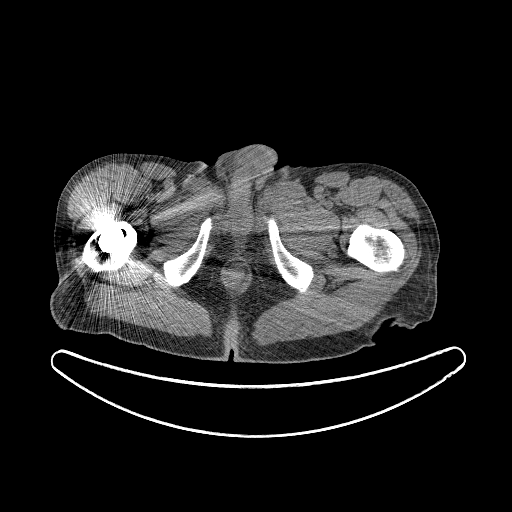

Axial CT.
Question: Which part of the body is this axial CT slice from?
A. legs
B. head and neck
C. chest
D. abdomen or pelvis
Answer: D. abdomen or pelvis
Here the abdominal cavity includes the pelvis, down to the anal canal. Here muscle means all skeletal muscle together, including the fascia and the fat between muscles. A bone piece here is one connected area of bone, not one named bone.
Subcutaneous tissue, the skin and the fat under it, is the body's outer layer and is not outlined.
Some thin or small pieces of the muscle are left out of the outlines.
{"bones":[[[362,223],[369,224],[371,226],[378,228],[386,228],[389,230],[391,230],[402,241],[405,249],[405,256],[402,264],[398,268],[397,271],[378,272],[369,268],[359,261],[351,257],[349,257],[346,254],[346,248],[348,244],[348,240],[350,234],[359,224]],[[121,220],[127,221],[136,230],[138,237],[138,242],[136,246],[130,253],[129,258],[125,264],[116,271],[114,270],[100,271],[99,272],[94,272],[92,271],[84,264],[82,258],[82,250],[85,242],[94,232],[96,232],[102,226]],[[265,217],[272,217],[275,220],[279,231],[279,235],[283,245],[294,256],[310,264],[312,266],[314,274],[311,282],[304,292],[300,292],[297,289],[287,284],[278,272],[278,270],[274,262],[274,257],[272,253],[272,249],[267,231],[267,225],[264,218]],[[209,216],[212,217],[212,227],[208,238],[206,250],[199,268],[197,270],[196,273],[188,282],[176,287],[170,286],[164,280],[164,275],[163,274],[163,269],[162,268],[163,262],[168,259],[174,258],[186,251],[192,245],[196,239],[199,232],[201,223]]],"abdominal_cavity":[[[235,260],[242,260],[243,261],[248,269],[249,277],[247,280],[247,282],[244,285],[244,287],[242,289],[239,291],[234,291],[233,292],[232,290],[226,285],[225,283],[226,282],[224,281],[224,274],[226,269],[230,265],[230,263],[232,261]]],"torso":[[[254,143],[277,152],[276,168],[369,162],[415,184],[440,240],[437,302],[429,321],[407,329],[387,320],[374,345],[300,363],[236,362],[232,350],[226,361],[184,357],[54,322],[49,299],[58,283],[56,207],[80,167],[120,152],[213,164],[222,153]]],"muscle":[{"outer":[[331,171],[386,176],[403,187],[420,215],[419,266],[384,308],[358,329],[256,346],[251,335],[256,319],[290,295],[281,278],[304,293],[315,274],[310,263],[284,245],[272,216],[263,218],[277,270],[271,265],[257,221],[259,193],[276,181],[308,180]],"hole":[[362,223],[369,224],[371,226],[378,228],[386,228],[389,230],[391,230],[402,241],[405,249],[405,256],[402,264],[398,268],[397,271],[378,272],[369,268],[359,261],[351,257],[349,257],[346,254],[346,248],[348,244],[348,240],[350,234],[359,224]]},{"outer":[[145,161],[204,178],[225,196],[221,231],[197,274],[213,227],[211,215],[200,223],[191,245],[161,265],[163,280],[172,288],[193,277],[190,293],[211,314],[212,337],[190,339],[109,319],[95,314],[85,302],[68,246],[72,190],[85,174],[107,163]],"hole":[[121,220],[127,221],[136,230],[138,237],[138,242],[136,246],[130,253],[129,258],[125,264],[116,271],[114,270],[100,271],[99,272],[94,272],[92,271],[84,264],[82,258],[82,250],[85,242],[94,232],[96,232],[102,226]]},{"outer":[[234,255],[239,255],[240,256],[242,256],[249,264],[251,268],[251,272],[252,273],[252,281],[250,285],[244,292],[243,292],[237,297],[232,297],[226,290],[225,286],[219,279],[219,277],[220,276],[220,271],[222,266],[224,265],[227,260],[228,260]],"hole":[[235,260],[242,260],[243,261],[248,269],[249,277],[247,280],[247,282],[244,285],[244,287],[242,289],[239,291],[234,291],[233,292],[232,290],[226,285],[225,283],[226,282],[224,281],[224,274],[226,269],[230,265],[230,263],[232,261]]}]}